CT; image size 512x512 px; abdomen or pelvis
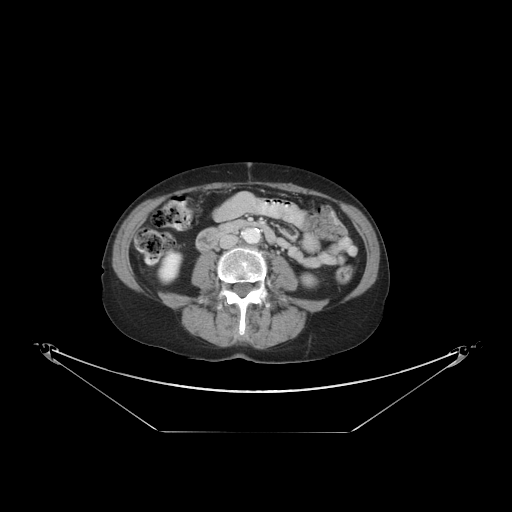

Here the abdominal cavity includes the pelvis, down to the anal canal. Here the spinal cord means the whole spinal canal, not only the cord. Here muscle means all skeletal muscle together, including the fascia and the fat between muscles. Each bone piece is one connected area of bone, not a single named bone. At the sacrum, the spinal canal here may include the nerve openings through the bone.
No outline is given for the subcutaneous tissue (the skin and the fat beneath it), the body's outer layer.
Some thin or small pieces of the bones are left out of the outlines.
Outlines (x, y in pixels):
torso: 229,161 276,162 313,171 347,189 370,212 385,244 390,285 382,319 364,342 325,359 303,363 266,364 242,358 212,362 181,357 142,344 124,335 110,321 101,300 101,259 107,238 121,213 142,192 171,175
abdominal cavity: 246,185 336,204 365,249 355,287 339,298 294,296 290,293 298,278 289,262 275,253 269,253 267,261 262,250 245,245 219,256 204,251 196,258 190,274 196,295 154,291 140,283 130,245 155,208 176,195
bones: 236,246 245,246 262,251 267,262 264,284 267,290 266,301 268,306 264,303 261,305 250,303 247,306 245,332 242,335 239,334 239,308 235,304 226,304 224,298 218,297 222,282 216,273 219,257 223,252; inner edge: 236,283 251,283 253,285 253,288 251,290 250,290 247,293 247,294 245,296 244,296 243,297 241,297 240,296 239,296 234,291 233,291 232,290 232,285 233,285 234,284 235,284
spinal cord: 236,283 251,283 253,285 253,288 251,290 250,290 247,293 247,294 245,296 244,296 243,297 241,297 240,296 239,296 234,291 233,291 232,290 232,285 233,285 234,284 235,284
muscle: 249,179 255,180 256,181 268,181 269,182 286,182 287,183 290,182 306,188 313,189 325,193 346,203 355,206 362,212 371,224 376,234 379,244 379,249 380,250 379,267 378,268 378,273 377,274 376,280 366,291 359,296 357,296 350,300 348,300 342,304 339,304 330,309 324,309 321,311 314,313 311,316 310,319 307,322 305,327 302,331 295,338 291,339 286,342 284,342 282,344 280,344 275,347 267,348 266,349 254,348 252,346 247,344 246,345 238,344 237,345 232,345 227,347 219,347 216,345 208,344 197,339 183,328 179,320 177,318 176,314 169,307 164,305 159,301 155,301 140,293 138,293 125,285 116,275 112,267 112,261 111,260 112,259 113,243 121,224 131,211 137,205 146,199 154,198 163,195 166,193 169,193 179,189 182,189 191,186 195,186 196,185 201,185 202,184 206,184 212,182 246,181; inner edge: 246,185 336,204 363,242 365,265 343,296 305,298 290,294 298,278 289,262 269,253 268,306 247,306 240,335 239,308 218,297 222,282 214,251 196,258 190,282 198,293 188,295 140,283 130,245 166,199